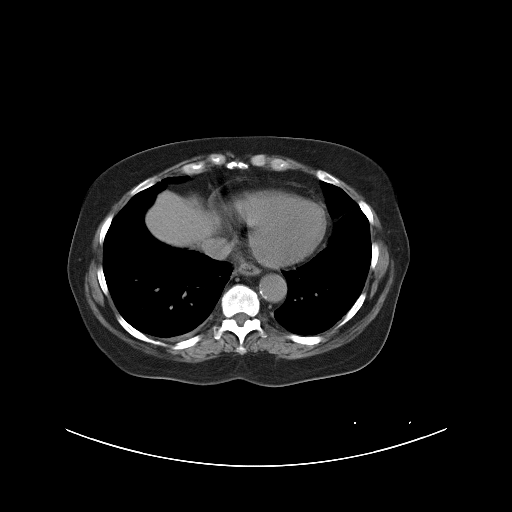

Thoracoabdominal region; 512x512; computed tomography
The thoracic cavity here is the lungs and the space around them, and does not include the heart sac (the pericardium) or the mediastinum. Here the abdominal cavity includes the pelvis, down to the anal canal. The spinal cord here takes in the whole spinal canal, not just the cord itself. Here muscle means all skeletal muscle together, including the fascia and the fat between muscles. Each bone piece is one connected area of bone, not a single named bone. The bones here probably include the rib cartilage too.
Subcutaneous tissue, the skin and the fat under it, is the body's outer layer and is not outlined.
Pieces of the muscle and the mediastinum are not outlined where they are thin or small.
thoracic cavity 1: [[177,175],[187,175],[189,178],[168,184],[155,196],[145,211],[145,225],[159,240],[225,261],[231,265],[232,270],[219,299],[220,311],[196,334],[175,342],[147,335],[120,314],[104,274],[103,243],[114,217],[133,196],[166,177]]
thoracic cavity 2: [[321,181],[341,188],[356,202],[367,219],[371,242],[370,263],[361,292],[341,319],[318,334],[300,335],[290,332],[277,323],[270,321],[267,316],[271,316],[286,300],[288,284],[282,271],[296,269],[311,259],[327,245],[331,235],[332,218],[325,203]]
mediastinum 1: [[217,213],[224,219],[250,258],[262,268],[283,270],[281,273],[287,284],[287,294],[283,303],[271,315],[261,312],[258,294],[251,287],[243,283],[236,283],[224,291],[233,270],[229,262],[215,259],[201,251],[189,248],[201,244],[216,234],[220,224]]
mediastinum 2: [[218,167],[225,167],[230,170],[236,168],[242,170],[259,168],[274,171],[303,172],[314,176],[320,181],[324,201],[319,194],[307,185],[285,178],[235,177],[222,184],[207,197],[190,187],[169,187],[168,185],[170,184],[187,181],[190,178],[188,175]]
torso: [[232,135],[289,136],[338,143],[372,158],[393,180],[409,241],[410,259],[387,338],[379,353],[364,367],[280,387],[265,387],[239,379],[199,386],[127,374],[106,357],[89,335],[68,282],[67,259],[80,207],[90,184],[105,169],[136,152],[182,140]]
abdominal cavity: [[168,187],[169,188],[190,188],[199,192],[207,198],[206,202],[208,207],[218,216],[219,220],[218,228],[214,235],[209,237],[199,244],[188,248],[185,248],[174,246],[167,243],[156,237],[150,231],[145,222],[146,211],[152,205],[156,199],[156,196]]
muscle 1: [[371,207],[385,232],[394,262],[393,281],[376,316],[355,338],[319,354],[284,359],[266,353],[245,353],[247,349],[244,346],[244,339],[251,331],[257,331],[262,338],[268,335],[262,326],[260,313],[270,322],[289,332],[285,335],[289,340],[309,346],[324,340],[319,334],[336,323],[337,328],[341,327],[357,313],[366,299],[367,294],[362,291],[368,272],[375,268],[380,253],[378,244],[371,241],[370,225],[374,223]]
muscle 2: [[130,189],[129,196],[131,197],[114,216],[114,214],[110,212],[104,218],[98,235],[98,243],[102,246],[102,265],[99,265],[97,267],[96,276],[102,292],[106,296],[110,295],[119,313],[115,317],[117,322],[125,331],[138,340],[162,347],[167,346],[164,341],[148,336],[162,340],[169,340],[174,342],[171,346],[173,350],[181,350],[194,346],[202,338],[202,335],[198,333],[200,330],[218,312],[220,312],[222,318],[219,324],[215,323],[211,326],[213,338],[218,340],[225,331],[233,333],[238,339],[238,345],[235,348],[235,351],[244,354],[216,357],[195,363],[158,357],[134,348],[109,331],[94,315],[87,302],[84,291],[84,277],[88,251],[102,216],[117,199]]
muscle 3: [[219,150],[220,151],[230,151],[240,156],[248,152],[280,154],[316,169],[314,171],[314,175],[306,173],[303,171],[289,170],[292,166],[287,160],[280,157],[268,157],[264,153],[253,154],[249,157],[247,162],[243,160],[228,159],[223,153],[217,153],[212,152],[210,153],[207,156],[207,158],[205,160],[201,159],[197,161],[188,162],[183,164],[179,169],[181,174],[166,176],[158,181],[158,177],[154,174],[182,160],[197,155],[206,154],[207,153]]
muscle 4: [[340,180],[341,180],[342,181],[345,182],[347,184],[348,184],[350,186],[351,186],[355,190],[356,190],[360,194],[361,194],[363,196],[363,197],[365,200],[364,200],[363,199],[360,199],[357,201],[355,201],[342,188],[342,184],[341,183]]
spinal cord: [[238,313],[244,313],[245,314],[246,314],[248,316],[248,318],[247,319],[246,319],[244,321],[244,322],[241,325],[239,325],[236,322],[236,321],[233,318],[233,316],[235,314],[237,314]]
pericardium: [[235,178],[285,179],[301,183],[313,190],[323,200],[328,214],[331,218],[330,235],[328,237],[326,245],[311,258],[294,269],[276,270],[262,267],[261,265],[250,257],[225,219],[220,214],[213,211],[209,207],[207,202],[208,197],[214,191],[228,181]]
bones 1: [[236,284],[243,284],[257,294],[260,308],[258,317],[267,335],[262,337],[257,330],[251,330],[243,339],[243,346],[246,349],[244,353],[236,351],[239,339],[233,332],[225,330],[216,339],[212,329],[212,326],[219,325],[223,318],[220,304],[222,294]] with a hole at [[238,313],[244,313],[245,314],[246,314],[248,316],[248,318],[247,319],[246,319],[244,321],[244,322],[241,325],[239,325],[236,322],[236,321],[233,318],[233,316],[235,314],[237,314]]
bones 2: [[212,153],[223,154],[228,160],[247,163],[253,155],[264,154],[268,158],[283,159],[291,166],[285,170],[274,170],[268,166],[254,165],[245,169],[236,167],[230,169],[223,164],[214,165],[207,162],[202,171],[184,174],[180,169],[183,165],[205,161]]
bones 3: [[118,315],[121,315],[121,316],[129,324],[140,332],[145,334],[148,337],[152,339],[164,342],[166,344],[166,346],[162,346],[157,344],[153,344],[149,342],[143,341],[140,339],[138,339],[134,337],[126,330],[125,330],[118,322],[116,318]]
bones 4: [[362,292],[364,292],[366,294],[366,295],[365,296],[365,299],[362,305],[360,307],[360,308],[348,321],[347,321],[341,326],[339,326],[337,327],[337,325],[338,323],[342,319],[342,318],[346,314],[346,313],[351,308],[353,304],[356,301],[356,300]]
bones 5: [[289,333],[292,333],[293,334],[299,335],[300,336],[314,336],[315,335],[320,335],[323,337],[323,340],[322,340],[320,342],[316,344],[312,344],[311,345],[309,345],[308,344],[302,344],[301,343],[295,342],[289,339],[286,336],[286,335],[287,335]]
bones 6: [[317,169],[321,169],[326,172],[328,172],[330,174],[336,177],[339,180],[341,184],[341,187],[339,186],[337,186],[336,185],[334,185],[331,183],[329,183],[325,181],[322,181],[318,179],[315,176],[315,171]]
bones 7: [[154,175],[157,177],[157,181],[154,184],[153,184],[151,186],[150,186],[143,190],[141,190],[140,191],[139,191],[134,195],[133,195],[132,196],[130,196],[130,191],[136,185],[137,185],[140,182],[141,182],[146,178],[147,178],[150,176],[153,176]]
bones 8: [[197,334],[200,334],[201,335],[201,338],[194,345],[192,345],[191,346],[189,346],[188,347],[186,347],[185,348],[182,348],[181,349],[173,349],[172,348],[172,346],[175,343],[176,343],[179,341],[181,341],[182,340],[185,340],[188,338],[190,338]]
bones 9: [[110,213],[112,213],[113,214],[113,218],[112,219],[112,220],[110,223],[110,225],[105,234],[105,236],[104,237],[104,239],[103,240],[102,245],[101,245],[99,243],[99,235],[100,234],[100,231],[101,230],[101,226],[102,225],[105,218]]
bones 10: [[360,200],[363,200],[365,201],[369,205],[371,209],[371,211],[372,212],[372,216],[373,217],[373,223],[372,224],[370,224],[369,223],[369,221],[368,219],[366,217],[364,213],[361,210],[359,205],[357,203],[357,202]]
bones 11: [[99,266],[102,266],[102,269],[103,270],[103,274],[105,278],[105,281],[106,282],[106,284],[107,285],[107,288],[108,289],[108,292],[109,293],[108,295],[106,295],[103,292],[100,286],[99,281],[98,280],[98,277],[97,276],[97,269]]
bones 12: [[372,242],[375,242],[377,244],[377,245],[378,246],[378,250],[379,251],[379,253],[378,254],[378,257],[377,258],[377,261],[376,262],[376,264],[375,265],[375,266],[374,267],[374,268],[373,269],[370,269],[370,264],[371,263],[371,243]]